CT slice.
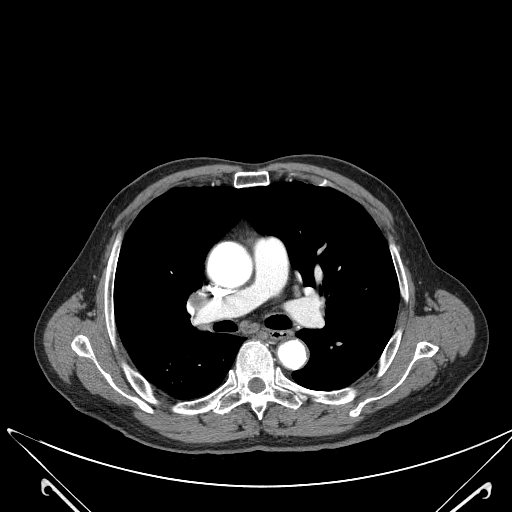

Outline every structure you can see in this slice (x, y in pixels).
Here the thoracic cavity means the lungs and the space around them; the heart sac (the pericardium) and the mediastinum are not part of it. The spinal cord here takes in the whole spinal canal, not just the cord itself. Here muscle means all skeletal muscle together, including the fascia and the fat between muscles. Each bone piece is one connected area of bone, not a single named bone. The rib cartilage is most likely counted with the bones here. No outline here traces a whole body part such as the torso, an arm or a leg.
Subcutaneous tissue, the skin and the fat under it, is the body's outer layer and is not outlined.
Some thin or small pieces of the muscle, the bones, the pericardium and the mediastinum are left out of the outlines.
Outlines (x, y in pixels):
pericardium: (246, 232) (252, 232) (258, 235) (262, 239) (261, 240) (267, 251) (267, 259) (264, 265) (262, 277) (257, 282) (249, 286) (245, 286) (235, 290) (229, 290) (217, 286) (207, 277) (208, 275) (207, 273) (207, 259) (211, 250) (217, 244) (223, 241) (237, 238)
muscle: (289, 161) (344, 175) (388, 208) (415, 287) (415, 314) (435, 311) (432, 302) (437, 289) (455, 295) (473, 314) (476, 334) (464, 356) (448, 363) (423, 387) (346, 431) (319, 436) (262, 431) (213, 443) (184, 442) (162, 435) (125, 407) (58, 375) (44, 349) (45, 327) (57, 308) (80, 289) (85, 309) (95, 306) (101, 258) (117, 215) (157, 180) (180, 170) (220, 163) (243, 169) (234, 172) (231, 183) (206, 179) (170, 187) (147, 203) (125, 232) (120, 228) (114, 235) (104, 272) (104, 321) (113, 350) (118, 351) (118, 336) (133, 365) (124, 358) (119, 364) (137, 395) (114, 382) (86, 335) (75, 334) (71, 349) (89, 358) (115, 391) (149, 414) (155, 412) (152, 406) (162, 403) (156, 390) (177, 400) (168, 406) (175, 414) (212, 411) (223, 415) (247, 403) (261, 420) (270, 402) (293, 410) (307, 400) (326, 405) (349, 403) (359, 393) (353, 383) (376, 364) (374, 379) (378, 380) (392, 363) (402, 339) (403, 327) (395, 328) (400, 300) (405, 304) (409, 300) (399, 248) (394, 237) (389, 233) (386, 238) (359, 202) (327, 178) (290, 172) (271, 180) (270, 173) (259, 168) with a hole at (420, 341) (430, 342) (438, 346) (438, 350) (430, 357) (421, 357) (417, 359) (412, 365) (405, 379) (394, 390) (381, 398) (370, 401) (365, 404) (357, 416) (350, 416) (350, 410) (353, 409) (361, 401) (366, 398) (382, 394) (392, 387) (401, 378) (414, 355) (417, 343)
spinal cord: (253, 378) (259, 378) (261, 380) (262, 380) (262, 381) (264, 384) (264, 387) (263, 388) (263, 389) (262, 389) (260, 391) (258, 391) (257, 392) (255, 392) (254, 391) (252, 391) (249, 388) (249, 387) (248, 386) (248, 383) (249, 382) (249, 381) (251, 379) (252, 379)
thoracic cavity: (281, 178) (346, 194) (386, 239) (400, 299) (376, 363) (338, 389) (290, 378) (310, 359) (296, 333) (316, 313) (284, 243) (243, 213) (208, 250) (201, 288) (212, 330) (243, 338) (233, 365) (197, 398) (156, 389) (117, 332) (114, 282) (126, 231) (170, 188) (240, 189)
mediastinum: (243, 214) (259, 234) (274, 236) (283, 243) (290, 264) (315, 313) (310, 325) (300, 328) (295, 333) (308, 347) (309, 359) (303, 367) (294, 370) (290, 377) (275, 364) (267, 343) (258, 339) (244, 341) (241, 336) (215, 332) (202, 308) (206, 256) (212, 246) (240, 220); inner edge: (246, 232) (252, 232) (258, 235) (262, 239) (261, 240) (267, 251) (267, 259) (264, 265) (262, 277) (257, 282) (249, 286) (245, 286) (235, 290) (229, 290) (217, 286) (207, 277) (208, 275) (207, 273) (207, 259) (211, 250) (217, 244) (223, 241) (237, 238)
bones 1: (248, 340) (267, 344) (274, 364) (305, 388) (332, 391) (353, 385) (358, 393) (353, 400) (342, 404) (307, 399) (296, 409) (270, 401) (261, 419) (247, 402) (223, 414) (212, 410) (196, 414) (175, 413) (169, 406) (176, 401) (197, 399) (219, 387) (234, 365) (240, 346) with a hole at (253, 378) (259, 378) (261, 380) (262, 380) (262, 381) (264, 384) (264, 387) (263, 388) (263, 389) (262, 389) (260, 391) (258, 391) (257, 392) (255, 392) (254, 391) (252, 391) (249, 388) (249, 387) (248, 386) (248, 383) (249, 382) (249, 381) (251, 379) (252, 379)
bones 2: (77, 334) (82, 334) (88, 338) (100, 366) (125, 393) (132, 396) (138, 394) (125, 376) (120, 364) (122, 359) (127, 361) (151, 384) (161, 401) (159, 405) (151, 406) (154, 410) (153, 413) (141, 409) (135, 402) (115, 390) (89, 357) (80, 356) (72, 349) (71, 341)
bones 3: (120, 229) (123, 231) (124, 234) (119, 250) (119, 255) (117, 259) (114, 281) (113, 282) (113, 312) (117, 333) (116, 337) (117, 351) (116, 352) (112, 346) (106, 327) (105, 313) (104, 312) (104, 282) (105, 281) (106, 266) (110, 250) (115, 235) (118, 230)
bones 4: (420, 341) (430, 342) (438, 346) (438, 350) (430, 357) (421, 357) (417, 359) (412, 365) (405, 379) (394, 390) (381, 398) (370, 401) (365, 404) (357, 416) (350, 416) (350, 410) (353, 409) (361, 401) (366, 398) (382, 394) (392, 387) (401, 378) (414, 355) (417, 343)
bones 5: (259, 169) (265, 169) (269, 173) (270, 175) (270, 183) (269, 184) (267, 185) (258, 185) (257, 186) (250, 186) (249, 187) (241, 187) (240, 188) (237, 188) (233, 186) (232, 184) (232, 181) (233, 180) (233, 176) (235, 172) (237, 171) (239, 171) (240, 170) (258, 170)
bones 6: (399, 326) (401, 326) (403, 330) (402, 331) (402, 335) (401, 336) (401, 339) (400, 340) (399, 346) (397, 349) (397, 351) (386, 371) (385, 371) (378, 379) (375, 379) (375, 374) (377, 370) (377, 362) (378, 361) (378, 359) (380, 357) (388, 341) (393, 334) (394, 330)
bones 7: (389, 234) (393, 237) (393, 239) (395, 241) (404, 267) (404, 271) (407, 281) (407, 289) (408, 290) (408, 300) (406, 303) (405, 303) (403, 299) (401, 298) (400, 296) (400, 291) (399, 290) (397, 275) (395, 271) (393, 260) (391, 256) (391, 253) (387, 241) (387, 236)
bones 8: (290, 173) (296, 173) (299, 175) (308, 175) (318, 178) (325, 178) (341, 188) (344, 192) (342, 192) (335, 188) (329, 186) (320, 186) (317, 185) (312, 182) (309, 178) (305, 178) (304, 177) (301, 177) (300, 178) (298, 176) (293, 177) (291, 175) (289, 175)